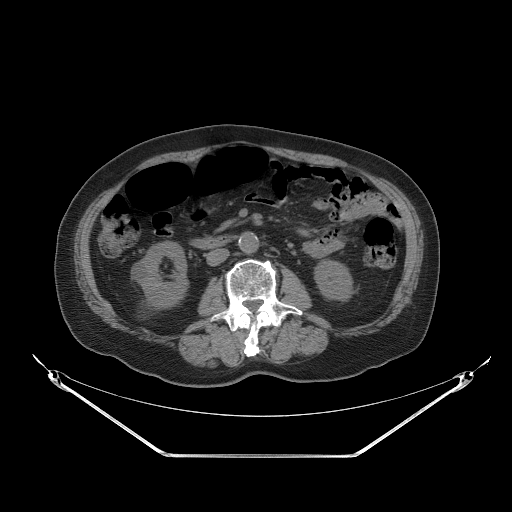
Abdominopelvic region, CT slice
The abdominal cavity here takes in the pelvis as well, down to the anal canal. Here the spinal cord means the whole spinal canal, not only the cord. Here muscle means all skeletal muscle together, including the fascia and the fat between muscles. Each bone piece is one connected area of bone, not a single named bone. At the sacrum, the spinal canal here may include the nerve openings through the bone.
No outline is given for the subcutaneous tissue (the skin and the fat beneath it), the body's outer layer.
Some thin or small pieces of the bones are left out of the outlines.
Outlines:
muscle: (233, 140) (245, 140) (263, 145) (268, 145) (274, 147) (282, 147) (297, 151) (318, 153) (319, 154) (324, 154) (325, 155) (336, 157) (352, 165) (359, 167) (375, 176) (382, 177) (388, 180) (405, 194) (414, 206) (421, 222) (421, 228) (423, 230) (423, 257) (420, 267) (417, 286) (411, 296) (411, 302) (406, 305) (393, 320) (381, 327) (378, 331) (370, 334) (350, 336) (349, 337) (335, 337) (334, 336) (331, 336) (329, 338) (329, 342) (326, 348) (321, 353) (316, 354) (306, 360) (297, 363) (275, 364) (262, 360) (251, 360) (250, 361) (247, 361) (243, 365) (241, 365) (238, 367) (208, 368) (207, 367) (199, 367) (192, 365) (187, 362) (173, 348) (165, 346) (159, 343) (149, 342) (145, 340) (138, 339) (135, 335) (114, 328) (109, 324) (104, 322) (97, 314) (92, 311) (83, 298) (83, 294) (79, 289) (79, 287) (77, 284) (76, 275) (75, 274) (75, 265) (73, 259) (73, 255) (74, 254) (74, 249) (73, 248) (74, 247) (74, 237) (77, 229) (77, 226) (81, 217) (90, 203) (101, 192) (114, 186) (137, 165) (148, 158) (166, 152) (190, 150) (203, 146) (224, 143) with a hole at (232, 144) (347, 168) (388, 197) (405, 257) (382, 313) (333, 326) (280, 264) (276, 296) (302, 314) (262, 326) (253, 356) (244, 352) (248, 329) (210, 320) (229, 304) (223, 274) (209, 279) (201, 318) (180, 333) (118, 315) (92, 267) (99, 213) (138, 170)
torso: (220, 123) (256, 125) (352, 145) (391, 161) (415, 181) (434, 211) (440, 239) (435, 306) (415, 350) (334, 381) (295, 382) (255, 374) (226, 386) (187, 387) (135, 371) (114, 357) (85, 348) (72, 336) (59, 309) (53, 261) (58, 226) (75, 193) (104, 163) (139, 142)
bones: (249, 258) (269, 260) (276, 270) (277, 298) (302, 311) (301, 315) (287, 314) (279, 326) (262, 326) (257, 334) (260, 351) (253, 356) (246, 356) (244, 352) (248, 329) (238, 328) (232, 331) (223, 319) (210, 320) (212, 315) (224, 310) (229, 304) (225, 273) (236, 262), around a hole outlined by (248, 300) (249, 300) (250, 301) (253, 301) (254, 300) (261, 300) (262, 301) (262, 303) (257, 308) (257, 309) (256, 310) (256, 311) (254, 313) (252, 311) (251, 311) (246, 306) (245, 306) (243, 304) (243, 303) (245, 301) (247, 301)
spinal cord: (248, 300) (249, 300) (250, 301) (253, 301) (254, 300) (261, 300) (262, 301) (262, 303) (257, 308) (257, 309) (256, 310) (256, 311) (254, 313) (252, 311) (251, 311) (246, 306) (245, 306) (243, 304) (243, 303) (245, 301) (247, 301)
abdominal cavity: (232, 144) (347, 168) (388, 197) (401, 215) (405, 257) (382, 313) (333, 326) (309, 310) (312, 298) (291, 269) (280, 264) (279, 275) (269, 259) (249, 257) (209, 279) (197, 303) (201, 318) (180, 333) (161, 334) (118, 315) (92, 267) (90, 234) (99, 213) (138, 170)